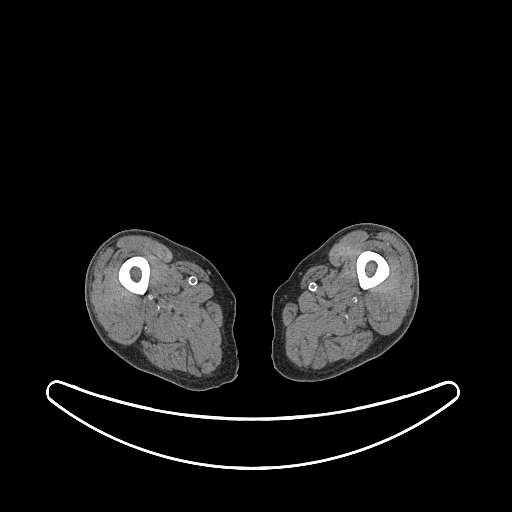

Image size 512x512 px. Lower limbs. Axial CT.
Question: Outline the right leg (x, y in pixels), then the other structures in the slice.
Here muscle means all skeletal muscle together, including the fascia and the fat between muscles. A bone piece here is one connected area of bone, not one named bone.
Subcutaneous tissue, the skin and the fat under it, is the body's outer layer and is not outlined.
Answer: Outlined structures:
right leg: (133, 228) (156, 232) (200, 253) (216, 267) (234, 293) (236, 298) (236, 313) (233, 334) (237, 346) (239, 367) (236, 378) (231, 382) (217, 388) (202, 391) (182, 388) (133, 367) (110, 350) (98, 336) (90, 321) (84, 299) (86, 270) (93, 254) (106, 239) (118, 231)
left leg: (362, 222) (388, 226) (401, 234) (412, 247) (417, 260) (419, 274) (419, 295) (413, 319) (404, 335) (395, 344) (380, 356) (358, 367) (322, 381) (294, 381) (288, 379) (274, 368) (271, 359) (271, 341) (273, 336) (272, 296) (277, 287) (291, 274) (304, 257) (338, 230)
muscle 1: (126, 235) (151, 237) (170, 249) (185, 255) (209, 276) (215, 299) (220, 305) (223, 315) (221, 327) (222, 360) (212, 376) (204, 377) (197, 381) (185, 380) (169, 371) (160, 369) (133, 347) (125, 346) (112, 340) (97, 320) (90, 301) (94, 265) (99, 254) (110, 243), around a hole outlined by (137, 255) (143, 256) (148, 261) (150, 267) (150, 272) (149, 273) (150, 275) (149, 276) (149, 281) (148, 282) (147, 290) (144, 294) (141, 295) (140, 294) (131, 292) (126, 289) (120, 283) (118, 278) (118, 272) (122, 263) (126, 259) (128, 259) (130, 257) (136, 256)
muscle 2: (358, 229) (389, 232) (406, 247) (413, 267) (413, 294) (410, 306) (400, 326) (394, 332) (382, 336) (365, 351) (350, 360) (346, 360) (337, 369) (324, 373) (311, 373) (307, 370) (301, 370) (285, 354) (283, 307) (290, 298) (297, 278) (308, 267) (321, 259) (341, 237) with a hole at (365, 250) (370, 250) (371, 251) (377, 252) (383, 256) (389, 266) (389, 274) (388, 276) (383, 281) (377, 285) (373, 287) (371, 287) (368, 289) (362, 289) (360, 287) (359, 285) (359, 281) (357, 277) (357, 272) (356, 271) (356, 260) (357, 259) (357, 257) (361, 252)
bones 1: (365, 250) (370, 250) (371, 251) (377, 252) (383, 256) (389, 266) (389, 274) (388, 276) (383, 281) (377, 285) (373, 287) (371, 287) (368, 289) (362, 289) (360, 287) (359, 285) (359, 281) (357, 277) (357, 272) (356, 271) (356, 260) (357, 259) (357, 257) (361, 252)
bones 2: (137, 255) (143, 256) (148, 261) (150, 267) (150, 272) (149, 273) (150, 275) (149, 276) (149, 281) (148, 282) (147, 290) (144, 294) (141, 295) (140, 294) (131, 292) (126, 289) (120, 283) (118, 278) (118, 272) (122, 263) (126, 259) (128, 259) (130, 257) (136, 256)